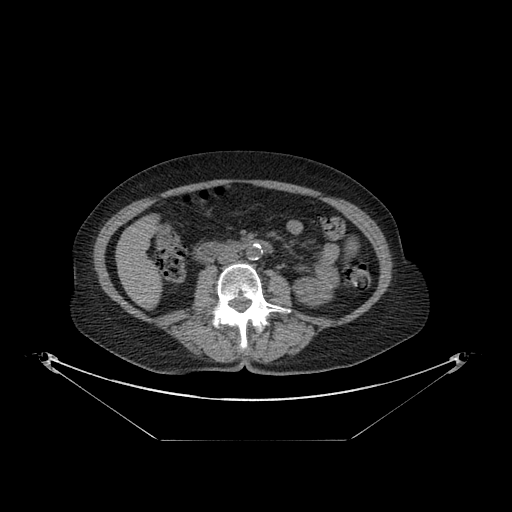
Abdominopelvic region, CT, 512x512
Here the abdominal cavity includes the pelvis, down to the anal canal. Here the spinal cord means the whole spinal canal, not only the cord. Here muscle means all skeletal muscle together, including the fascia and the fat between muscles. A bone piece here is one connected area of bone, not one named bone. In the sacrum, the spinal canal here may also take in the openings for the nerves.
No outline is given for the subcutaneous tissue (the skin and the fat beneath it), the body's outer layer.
Outlines:
muscle: 228 178; 239 178; 240 179; 269 179; 270 180; 281 181; 287 183; 292 183; 301 186; 306 186; 310 188; 313 188; 317 190; 320 190; 324 192; 330 193; 339 198; 344 199; 359 207; 373 220; 374 220; 383 233; 388 244; 388 247; 392 257; 392 262; 393 263; 392 266; 392 278; 390 284; 388 286; 388 289; 367 311; 363 313; 360 316; 345 324; 335 326; 334 327; 329 327; 322 330; 316 335; 298 354; 295 355; 290 359; 276 362; 275 363; 260 363; 247 357; 239 358; 233 362; 223 362; 222 363; 213 363; 212 362; 201 360; 193 355; 191 352; 183 346; 175 338; 172 337; 163 330; 156 326; 154 326; 152 324; 149 324; 144 321; 142 321; 134 317; 131 314; 126 312; 115 301; 107 295; 101 288; 101 286; 98 282; 97 274; 94 269; 93 258; 92 257; 93 254; 93 248; 98 233; 106 221; 126 205; 153 193; 163 191; 175 187; 178 187; 182 185; 187 185; 191 183; 196 183; 201 181; 207 181; 213 179; 227 179 with a hole at 230 183; 341 212; 377 257; 371 295; 338 318; 308 315; 266 269; 264 298; 291 312; 270 312; 259 333; 249 321; 245 349; 235 325; 212 323; 213 264; 198 272; 189 308; 150 316; 130 303; 106 265; 113 234; 164 198
abdominal cavity: 230 183; 310 196; 341 212; 368 239; 377 257; 379 275; 371 295; 338 318; 308 315; 292 307; 284 276; 273 269; 260 275; 250 263; 234 262; 218 276; 213 264; 198 272; 189 308; 150 316; 130 303; 106 265; 113 234; 164 198
torso: 235 149; 311 158; 350 175; 373 193; 391 212; 404 253; 426 279; 431 307; 424 327; 356 365; 289 375; 256 374; 244 367; 157 373; 114 355; 80 333; 68 311; 73 287; 71 249; 80 225; 97 203; 119 183; 153 164; 191 153
spinal cord: 242 297; 243 297; 246 299; 248 299; 249 300; 250 300; 250 304; 249 305; 249 306; 245 310; 244 310; 241 312; 240 311; 238 311; 237 310; 236 310; 233 307; 232 307; 229 304; 229 303; 231 300; 233 300; 236 298; 241 298
bones: 234 263; 253 266; 260 277; 264 298; 269 303; 291 309; 289 313; 270 312; 267 316; 269 324; 259 333; 249 321; 246 326; 245 349; 239 347; 241 338; 235 325; 221 324; 217 328; 212 323; 211 311; 218 302; 218 277; 224 268, around a hole outlined by 242 297; 243 297; 246 299; 248 299; 249 300; 250 300; 250 304; 249 305; 249 306; 245 310; 244 310; 241 312; 240 311; 238 311; 237 310; 236 310; 233 307; 232 307; 229 304; 229 303; 231 300; 233 300; 236 298; 241 298